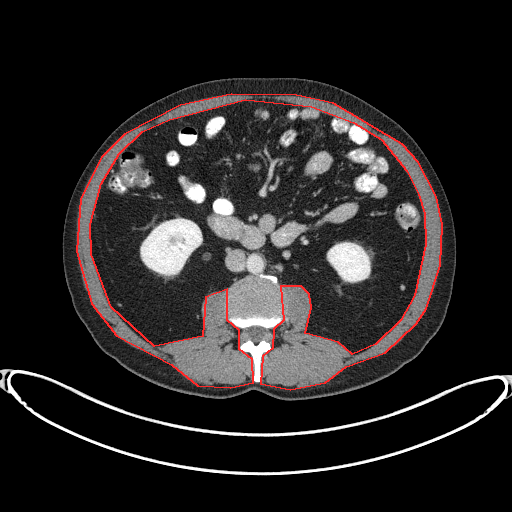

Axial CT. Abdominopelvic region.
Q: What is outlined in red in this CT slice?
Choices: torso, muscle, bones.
A: red: muscle.
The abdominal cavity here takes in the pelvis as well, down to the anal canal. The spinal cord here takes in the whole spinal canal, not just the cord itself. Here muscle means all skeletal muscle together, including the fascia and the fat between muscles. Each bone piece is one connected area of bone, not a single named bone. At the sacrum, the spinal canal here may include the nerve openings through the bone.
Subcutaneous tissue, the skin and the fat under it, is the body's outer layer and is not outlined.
{"muscle":[[[290,389],[325,382],[346,366],[385,352],[416,323],[426,308],[440,265],[442,224],[436,196],[418,162],[402,144],[333,103],[296,95],[231,94],[180,105],[124,134],[101,157],[80,198],[76,251],[91,303],[116,335],[171,364],[197,385],[230,387],[253,382],[252,359],[239,349],[239,330],[227,320],[227,289],[205,297],[202,336],[154,346],[111,307],[91,254],[90,224],[101,183],[119,153],[142,131],[169,119],[245,99],[311,106],[353,122],[381,139],[406,170],[418,194],[424,213],[425,244],[414,295],[400,320],[375,344],[352,354],[338,342],[305,333],[311,307],[309,294],[301,286],[280,286],[283,320],[273,329],[272,348],[262,356],[260,383]]],"torso":[[[283,400],[329,396],[369,385],[423,350],[440,328],[452,294],[456,236],[451,208],[417,142],[360,97],[329,83],[298,77],[203,81],[139,109],[95,151],[66,209],[62,233],[66,285],[75,312],[95,343],[134,374],[202,397],[228,398],[258,390]]],"abdominal_cavity":[[[352,353],[399,320],[423,254],[417,194],[381,140],[311,107],[245,100],[158,124],[120,153],[98,194],[90,238],[106,296],[134,331],[154,345],[202,335],[200,307],[208,293],[245,276],[270,274],[280,285],[301,285],[310,294],[305,332],[338,341]]],"bones":[{"outer":[[255,382],[259,382],[262,378],[260,375],[261,356],[271,348],[272,329],[282,320],[283,295],[276,278],[270,275],[260,275],[257,278],[242,278],[229,287],[226,297],[228,320],[240,330],[240,349],[248,352],[253,359],[254,373],[252,379]],"hole":[[255,343],[257,343],[260,340],[265,338],[265,335],[268,330],[267,329],[266,329],[263,327],[261,327],[260,326],[251,326],[250,327],[248,327],[247,328],[244,329],[244,332],[246,335],[246,336],[245,337],[246,338],[248,338],[249,339],[252,340]]}],"spinal_cord":[[[255,343],[257,343],[260,340],[265,338],[265,335],[268,330],[267,329],[266,329],[263,327],[261,327],[260,326],[251,326],[250,327],[248,327],[247,328],[244,329],[244,332],[246,335],[246,336],[245,337],[246,338],[248,338],[249,339],[252,340]]]}